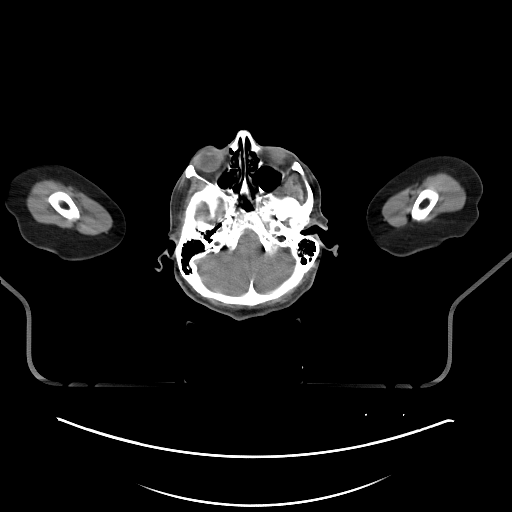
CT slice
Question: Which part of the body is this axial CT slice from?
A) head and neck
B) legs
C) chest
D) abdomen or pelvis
Answer: A) head and neck
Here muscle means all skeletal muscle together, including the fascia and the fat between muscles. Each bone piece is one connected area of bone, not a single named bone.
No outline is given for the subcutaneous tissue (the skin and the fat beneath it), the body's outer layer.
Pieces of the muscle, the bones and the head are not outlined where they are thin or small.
The right arm is outlined by 46,163 64,165 77,171 99,186 116,202 122,210 126,222 126,232 119,245 111,251 92,259 82,261 67,261 59,258 51,252 32,246 22,238 14,217 8,212 5,207 6,197 10,183 12,178 24,168. The brain appears in 2 outlined pieces: piece 1: 248,231 255,236 263,252 268,256 272,256 279,249 287,250 293,260 289,275 263,292 256,289 252,278 248,282 247,289 239,294 212,289 205,283 200,273 203,260 209,254 218,254 224,249 229,253 233,252; piece 2: 203,204 204,204 206,206 206,208 207,209 207,214 206,214 205,215 204,215 203,214 201,214 200,215 196,215 197,214 197,211 198,210 198,209 199,208 200,208 203,205. The muscle appears in 6 outlined pieces: piece 1: 43,179 53,179 59,181 65,185 73,186 101,204 109,212 113,219 113,225 110,230 107,233 101,233 98,235 86,235 79,233 73,229 61,228 56,225 43,224 35,221 27,208 25,199 31,186 35,182, around a hole outlined by 56,191 63,191 70,196 70,197 76,205 79,211 79,218 78,219 76,219 73,221 72,220 69,220 67,219 61,214 60,214 57,211 56,211 56,210 49,203 49,202 47,200 47,198 53,192 55,192; piece 2: 439,171 444,171 452,175 465,188 467,196 466,197 466,202 462,209 454,212 440,213 431,221 425,223 411,223 409,225 400,228 393,227 384,221 381,214 381,208 385,201 391,195 415,182 420,182 427,175; inner edge: 426,188 431,188 435,191 436,191 438,193 438,199 436,203 432,208 432,209 423,220 421,221 416,221 415,220 413,220 411,218 411,210 412,209 413,204 416,198 418,196 419,193 423,189 425,189; piece 3: 184,176 188,179 191,177 195,177 200,181 203,182 204,185 200,189 196,190 190,196 184,208 183,211 183,221 180,228 180,232 178,238 175,235 175,229 178,222 176,219 176,214 178,212 179,188; piece 4: 291,171 297,172 299,174 303,182 303,184 305,188 305,191 306,192 306,197 305,198 305,200 303,202 300,202 297,198 288,194 286,194 282,196 279,196 275,193 276,189 277,189 282,184 285,178; piece 5: 311,269 309,273 309,275 304,284 301,287 300,287 289,299 286,301 280,302 279,303 275,303 272,305 267,305 263,307 246,308 245,309 231,309 227,307 216,305 210,302 207,299 204,298 206,298 207,299 214,299 225,304 244,305 245,306 250,306 251,307 258,304 264,303 270,300 277,299 286,293 289,292 295,288 301,282 304,275; piece 6: 190,286 191,287 192,288 193,289 194,290 195,291 196,292 197,293 198,294 199,294 200,295 201,296 200,296 199,295 198,295 197,294 196,293 195,292 194,291 193,290 192,289 191,288 190,287. The bones appear in 3 outlined pieces: piece 1: 240,130 247,130 256,143 263,146 261,154 270,165 281,170 295,160 301,165 314,196 309,224 302,232 315,235 321,242 314,265 295,287 277,298 251,306 202,296 181,275 174,254 185,208 191,196 205,185 195,176 186,177 185,168 192,164 198,174 210,181 217,180 221,188 228,187 239,196 244,174 241,173 239,182 239,167 224,172 222,150 with holes at 248,231 255,236 263,252 268,256 272,256 279,249 287,250 293,260 289,275 263,292 256,289 252,278 248,282 247,289 239,294 212,289 205,283 200,273 203,260 209,254 218,254 224,249 229,253 233,252 and at 264,165 269,166 278,172 281,182 291,171 297,172 305,188 305,200 300,202 297,198 288,194 279,196 275,193 275,188 266,191 259,185 253,198 248,179 254,189 255,186 250,174 255,173 256,170 and at 193,240 197,240 199,241 203,245 202,247 203,251 198,251 189,257 187,261 187,264 191,271 190,271 188,273 186,273 183,269 183,264 182,263 182,261 183,260 183,247 187,242 189,241 192,241 and at 303,239 306,239 309,241 314,242 315,246 315,251 312,252 313,255 310,256 311,258 310,261 309,261 310,256 307,253 302,254 302,257 306,259 305,264 302,264 301,262 301,257 299,255 300,251 298,244 and at 247,138 247,139 248,140 248,142 250,144 250,149 251,150 251,151 255,155 255,159 256,160 256,166 255,167 255,169 254,170 249,170 249,169 248,168 248,162 247,161 247,157 246,156 246,139 and at 242,195 244,195 248,199 248,200 250,202 250,203 251,204 251,206 252,207 252,208 253,209 252,210 245,210 243,208 243,207 242,206 238,206 238,205 239,204 239,197 240,196 241,196 and at 240,139 241,148 240,149 240,150 238,153 238,155 237,156 237,165 236,166 232,166 232,165 231,164 232,163 232,161 233,160 233,154 230,151 230,150 232,150 234,152 236,152 239,149 239,148 240,147 and at 220,223 221,223 221,224 219,226 219,227 217,228 211,234 211,235 209,237 209,238 211,240 209,241 205,239 205,237 202,233 202,232 204,234 206,234 208,230 211,230 and at 203,204 204,204 206,206 206,208 207,209 207,214 206,214 205,215 204,215 203,214 201,214 200,215 196,215 197,214 197,211 198,210 198,209 199,208 200,208 203,205; piece 2: 426,188 431,188 435,191 436,191 438,193 438,199 436,203 432,208 432,209 423,220 421,221 416,221 415,220 413,220 411,218 411,210 412,209 413,204 416,198 418,196 419,193 423,189 425,189; piece 3: 56,191 63,191 70,196 70,197 76,205 79,211 79,218 78,219 76,219 73,221 72,220 69,220 67,219 61,214 60,214 57,211 56,211 56,210 49,203 49,202 47,200 47,198 53,192 55,192. The head is outlined by 240,130 261,146 293,152 311,169 328,222 326,229 312,225 302,232 338,245 336,256 322,252 311,287 293,304 245,320 186,295 165,254 157,269 159,255 175,249 166,237 176,181 198,149 224,147; inner edges: 264,165 269,166 276,172 279,173 280,175 280,182 273,189 269,191 266,191 259,185 257,191 254,193 254,197 253,198 251,194 248,179 254,189 255,186 253,183 253,179 250,174 255,173 256,170 259,169, then 233,168 235,170 237,170 239,168 240,170 240,176 238,179 239,183 242,179 242,173 243,174 243,178 239,187 239,195 238,193 236,193 228,186 227,187 221,187 218,182 218,180 225,172 227,173 230,172, then 193,240 197,240 199,241 203,245 202,247 203,251 198,251 189,257 187,261 187,264 191,271 190,271 188,273 186,273 183,269 183,264 182,263 182,261 183,260 183,247 187,242 189,241 192,241, then 303,239 306,239 309,241 314,242 315,246 315,251 312,252 313,255 310,256 311,258 310,261 309,261 310,256 307,253 302,254 302,257 306,259 305,264 302,264 301,262 301,257 299,255 300,251 298,244, then 247,138 247,139 248,140 248,142 250,144 250,149 251,150 251,151 255,155 255,159 256,160 256,166 255,167 255,169 254,170 249,170 249,169 248,168 248,162 247,161 247,157 246,156 246,139, then 242,195 244,195 248,199 248,200 250,202 250,203 251,204 251,206 252,207 252,208 253,209 252,210 245,210 243,208 243,207 242,206 238,206 238,205 239,204 239,197 240,196 241,196, then 240,139 241,148 240,149 240,150 238,153 238,155 237,156 237,165 236,166 232,166 232,165 231,164 232,163 232,161 233,160 233,154 230,151 230,150 232,150 234,152 236,152 239,149 239,148 240,147, then 220,223 221,223 221,224 219,226 219,227 217,228 211,234 211,235 209,237 209,238 211,240 209,241 205,239 205,237 202,233 202,232 204,234 206,234 208,230 211,230. The left arm is outlined by 437,154 447,154 462,158 467,161 480,176 483,185 483,193 478,203 478,219 471,229 461,237 449,238 437,247 405,257 394,256 378,247 372,239 366,224 366,210 368,204 375,193 393,176 413,162 421,158.